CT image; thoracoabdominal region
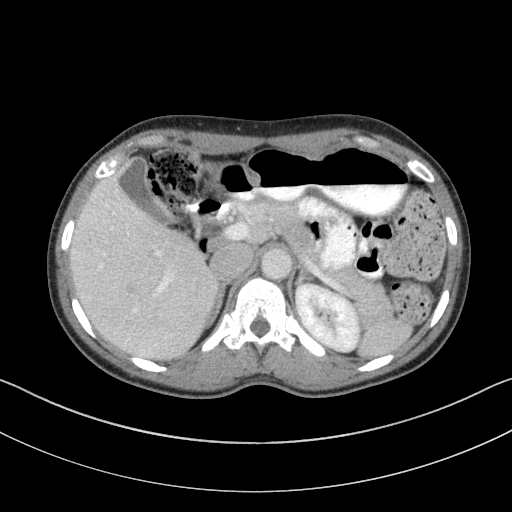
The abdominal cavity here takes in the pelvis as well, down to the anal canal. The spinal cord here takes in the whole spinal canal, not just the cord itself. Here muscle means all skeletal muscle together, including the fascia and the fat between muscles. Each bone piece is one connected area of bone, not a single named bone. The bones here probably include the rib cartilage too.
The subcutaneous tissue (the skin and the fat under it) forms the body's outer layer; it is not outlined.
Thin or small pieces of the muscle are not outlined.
spinal cord: (258, 336) (261, 336) (262, 335) (263, 335) (269, 330) (269, 325) (266, 321) (266, 320) (265, 319) (264, 319) (263, 318) (261, 318) (260, 317) (258, 317) (257, 318) (256, 318) (252, 322) (252, 323) (250, 325) (250, 328) (251, 329) (251, 330) (256, 335) (257, 335)
abdominal cavity: (158, 363) (201, 344) (233, 308) (260, 253) (274, 245) (293, 259) (288, 311) (327, 351) (356, 361) (395, 351) (429, 319) (442, 290) (448, 242) (431, 190) (389, 156) (358, 145) (262, 144) (209, 154) (165, 142) (138, 150) (86, 196) (68, 267) (96, 333) (129, 355)
mediastinum: (285, 295) (285, 292) (287, 288) (287, 280) (292, 270) (292, 259) (291, 256) (289, 254) (288, 251) (285, 250) (280, 246) (268, 247) (261, 253) (259, 257) (259, 260) (257, 266) (249, 275) (249, 278) (253, 276) (260, 275) (265, 278) (272, 280) (277, 283) (282, 288)
bones 1: (317, 356) (324, 356) (325, 349) (305, 332) (293, 313) (287, 311) (281, 288) (260, 276) (250, 278) (240, 287) (234, 308) (222, 317) (218, 327) (200, 349) (208, 351) (222, 340) (230, 349) (238, 349) (249, 341) (261, 351) (268, 342) (273, 341) (290, 351) (296, 337) with a hole at (258, 336) (261, 336) (262, 335) (263, 335) (269, 330) (269, 325) (266, 321) (266, 320) (265, 319) (264, 319) (263, 318) (261, 318) (260, 317) (258, 317) (257, 318) (256, 318) (252, 322) (252, 323) (250, 325) (250, 328) (251, 329) (251, 330) (256, 335) (257, 335)
bones 2: (96, 178) (101, 178) (102, 177) (104, 177) (107, 175) (109, 175) (111, 174) (114, 171) (116, 166) (120, 162) (123, 156) (123, 152) (120, 151) (110, 156) (106, 160) (104, 160) (102, 161) (97, 167) (97, 168) (94, 172) (94, 176)
bones 3: (428, 183) (432, 183) (434, 182) (435, 181) (435, 179) (433, 175) (431, 173) (431, 172) (426, 167) (426, 166) (423, 163) (422, 163) (417, 159) (409, 159) (407, 160) (405, 163) (406, 166) (415, 175) (416, 175) (418, 177) (419, 177) (421, 179) (422, 179) (424, 181)
bones 4: (94, 338) (96, 337) (96, 335) (94, 331) (92, 329) (92, 327) (89, 323) (89, 321) (87, 319) (83, 310) (81, 308) (81, 306) (79, 304) (79, 302) (77, 298) (76, 298) (75, 296) (72, 297) (71, 299) (71, 305) (77, 319) (81, 324) (82, 327) (92, 337)
bones 5: (429, 327) (432, 327) (437, 322) (437, 321) (442, 315) (442, 314) (448, 303) (448, 301) (449, 300) (449, 290) (446, 288) (445, 288) (442, 291) (442, 292) (441, 293) (441, 295) (440, 296) (440, 298) (439, 299) (439, 300) (436, 305) (436, 307) (430, 318)
bones 6: (157, 372) (159, 371) (165, 371) (167, 369) (165, 366) (163, 365) (160, 365) (155, 362) (153, 362) (150, 360) (147, 360) (143, 358) (140, 358) (135, 356) (130, 356) (129, 357) (129, 359) (138, 367) (145, 369) (146, 370) (148, 370) (149, 371) (156, 371)
bones 7: (359, 371) (368, 371) (369, 370) (372, 370) (373, 369) (378, 368) (388, 363) (394, 357) (394, 355) (392, 353) (390, 353) (389, 354) (387, 354) (386, 355) (384, 355) (383, 356) (375, 358) (372, 360) (370, 360) (364, 363) (362, 365) (359, 366) (357, 368) (357, 370)
bones 8: (128, 147) (134, 144) (137, 144) (138, 145) (158, 145) (159, 144) (161, 144) (164, 141) (165, 141) (166, 139) (165, 137) (164, 137) (162, 135) (149, 135) (145, 137) (142, 137) (141, 138) (139, 138) (135, 142) (130, 142) (128, 143) (127, 144) (127, 146)
bones 9: (63, 251) (67, 251) (68, 249) (68, 247) (69, 246) (69, 242) (71, 239) (71, 234) (73, 231) (73, 226) (74, 225) (74, 220) (73, 219) (70, 219) (66, 223) (64, 227) (64, 229) (63, 230) (63, 233) (62, 234) (62, 237) (61, 238) (61, 249)
bones 10: (453, 246) (456, 245) (457, 243) (457, 233) (456, 232) (456, 228) (455, 227) (455, 224) (452, 218) (450, 216) (448, 215) (446, 215) (444, 217) (444, 221) (445, 222) (445, 225) (446, 226) (446, 230) (447, 231) (447, 235) (448, 236) (448, 241) (449, 243)
bones 11: (370, 149) (375, 149) (376, 148) (378, 148) (380, 147) (381, 146) (381, 144) (379, 141) (373, 138) (371, 138) (368, 136) (363, 136) (362, 135) (357, 135) (356, 136) (353, 136) (352, 137) (352, 139) (353, 141) (354, 141) (361, 146) (363, 146) (364, 147) (366, 147)
torso: (188, 399) (223, 397) (252, 385) (308, 398) (343, 395) (403, 376) (432, 358) (459, 319) (471, 266) (464, 208) (440, 163) (396, 126) (352, 113) (278, 119) (159, 115) (128, 126) (93, 153) (65, 190) (49, 232) (46, 276) (54, 314) (75, 347) (102, 371) (147, 390)
muscle: (198, 391) (211, 391) (224, 388) (236, 383) (244, 376) (249, 376) (254, 374) (272, 375) (274, 377) (281, 379) (285, 383) (300, 389) (306, 390) (331, 389) (352, 383) (356, 383) (393, 370) (413, 359) (432, 343) (445, 326) (451, 314) (458, 289) (463, 255) (463, 241) (462, 240) (461, 225) (449, 192) (442, 179) (434, 168) (424, 158) (413, 150) (384, 135) (361, 129) (347, 127) (339, 127) (269, 137) (239, 135) (238, 134) (225, 134) (224, 133) (199, 131) (182, 128) (156, 128) (145, 130) (131, 136) (122, 141) (97, 159) (88, 169) (78, 183) (65, 210) (57, 233) (55, 243) (56, 282) (58, 296) (63, 312) (76, 333) (91, 349) (101, 357) (127, 372) (130, 375) (137, 376) (167, 386); inner edge: (157, 372) (167, 369) (160, 363) (179, 359) (199, 345) (204, 352) (221, 340) (230, 349) (249, 341) (261, 351) (273, 341) (290, 351) (296, 337) (317, 356) (331, 351) (365, 361) (359, 371) (388, 363) (428, 319) (429, 327) (437, 322) (449, 300) (449, 290) (442, 289) (447, 243) (456, 245) (457, 233) (452, 218) (441, 215) (426, 184) (435, 181) (431, 172) (417, 159) (400, 164) (375, 150) (381, 146) (379, 141) (362, 135) (352, 137) (356, 146) (287, 149) (262, 144) (231, 154) (202, 153) (183, 143) (166, 142) (162, 135) (149, 135) (127, 146) (153, 147) (140, 149) (121, 163) (121, 151) (102, 161) (94, 172) (100, 179) (76, 219) (66, 223) (61, 238) (75, 294) (71, 305) (92, 337) (97, 333) (138, 367)